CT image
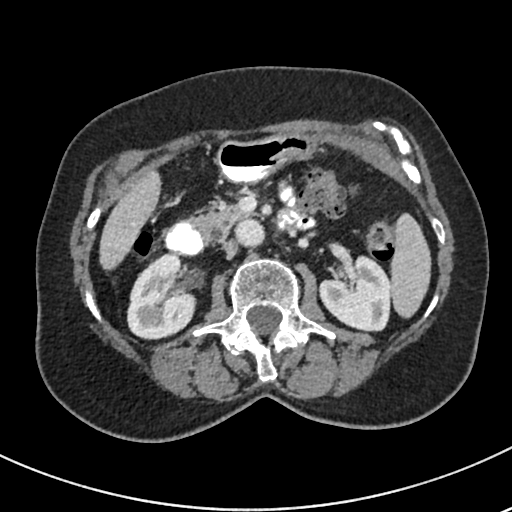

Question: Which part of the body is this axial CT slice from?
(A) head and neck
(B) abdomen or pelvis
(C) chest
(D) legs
Answer: (B) abdomen or pelvis
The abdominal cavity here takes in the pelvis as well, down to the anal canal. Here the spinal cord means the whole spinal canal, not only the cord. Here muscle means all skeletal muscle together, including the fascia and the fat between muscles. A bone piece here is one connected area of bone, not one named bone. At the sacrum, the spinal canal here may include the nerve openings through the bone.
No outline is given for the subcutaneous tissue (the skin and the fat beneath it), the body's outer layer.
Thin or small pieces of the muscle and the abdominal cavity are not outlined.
The bones appear in 6 outlined pieces: piece 1: [[261,258],[278,260],[296,274],[300,311],[335,333],[332,340],[311,332],[304,345],[272,351],[277,376],[266,382],[259,379],[256,359],[249,351],[232,354],[220,342],[218,333],[192,334],[229,316],[232,305],[228,287],[233,274],[242,263]]; inner edge: [[255,306],[271,306],[272,307],[274,307],[276,308],[280,312],[281,314],[281,319],[278,323],[275,329],[274,329],[268,335],[266,336],[261,336],[259,335],[255,331],[254,331],[251,325],[246,318],[246,316],[247,315],[247,312],[249,310],[249,309]]; piece 2: [[376,120],[383,122],[387,125],[396,126],[409,142],[411,146],[411,152],[408,155],[408,158],[419,171],[421,177],[421,182],[419,184],[415,184],[402,169],[400,165],[400,161],[403,156],[399,152],[393,138],[386,131],[381,131],[373,126],[372,121]]; piece 3: [[89,281],[90,281],[92,284],[92,293],[93,294],[93,297],[95,300],[96,305],[101,315],[101,318],[102,319],[101,322],[99,322],[91,314],[90,311],[85,305],[85,303],[84,302],[84,299],[85,298],[85,289],[86,288],[86,285]]; piece 4: [[432,216],[434,216],[436,217],[441,222],[443,226],[443,228],[445,231],[445,242],[444,244],[442,244],[437,239],[437,237],[434,231],[432,229],[432,227],[429,221],[429,217],[431,217]]; piece 5: [[98,205],[101,206],[101,208],[102,209],[101,210],[101,212],[100,213],[100,215],[99,216],[99,218],[98,219],[98,220],[97,221],[95,226],[91,230],[87,230],[85,227],[85,225],[86,224],[86,220],[87,219],[88,216],[90,214],[90,213]]; piece 6: [[436,289],[437,289],[438,290],[438,294],[439,295],[438,296],[438,300],[437,301],[437,303],[436,304],[435,307],[433,309],[433,310],[429,314],[429,315],[424,320],[421,321],[422,316],[423,315],[424,312],[426,310],[426,309],[434,294],[434,292]]. The spinal cord is outlined by [[255,306],[271,306],[272,307],[274,307],[276,308],[280,312],[281,314],[281,319],[278,323],[275,329],[274,329],[268,335],[266,336],[261,336],[259,335],[255,331],[254,331],[251,325],[246,318],[246,316],[247,315],[247,312],[249,310],[249,309]]. The abdominal cavity is outlined by [[264,132],[346,150],[415,198],[437,248],[435,289],[422,315],[386,339],[337,326],[326,320],[316,275],[306,263],[294,265],[297,275],[282,261],[261,257],[214,275],[203,320],[170,340],[144,344],[115,328],[97,305],[89,268],[108,208],[182,152]]. The torso is outlined by [[256,65],[375,74],[405,88],[431,114],[475,192],[487,231],[489,278],[471,371],[441,407],[399,427],[357,429],[321,423],[264,397],[208,429],[176,440],[138,442],[98,431],[52,396],[34,352],[36,240],[60,160],[86,123],[122,101],[196,74]]. The muscle is outlined by [[382,116],[389,116],[403,124],[413,134],[421,146],[430,169],[432,179],[436,186],[437,195],[447,214],[454,236],[455,240],[454,245],[456,249],[453,253],[454,266],[451,273],[450,287],[447,296],[443,302],[443,305],[438,313],[437,319],[417,341],[411,343],[396,353],[387,362],[384,363],[363,385],[340,397],[333,397],[323,401],[318,401],[315,399],[303,400],[288,397],[269,385],[260,386],[251,393],[230,401],[219,403],[214,401],[212,402],[208,401],[194,402],[191,400],[179,398],[172,395],[167,391],[162,390],[143,371],[139,369],[139,366],[136,363],[126,358],[109,345],[105,344],[92,331],[88,325],[89,321],[88,313],[81,301],[78,288],[74,285],[73,282],[72,265],[69,255],[69,236],[73,221],[80,207],[82,191],[84,187],[84,179],[96,164],[100,163],[108,157],[113,156],[121,151],[128,149],[153,148],[170,139],[191,131],[196,131],[201,129],[209,128],[248,129],[255,128],[258,126],[272,124],[275,122],[298,118],[317,118],[333,121],[357,123],[365,118],[378,118]] with holes at [[264,132],[331,144],[358,156],[397,181],[428,221],[434,216],[441,222],[439,295],[429,315],[386,339],[337,326],[326,320],[318,302],[316,275],[298,262],[299,309],[335,338],[311,332],[304,345],[272,351],[277,376],[266,382],[259,379],[249,351],[232,354],[218,333],[192,334],[231,313],[232,268],[213,276],[203,320],[170,340],[144,344],[102,315],[99,322],[84,299],[91,251],[108,208],[143,175],[182,152]] and at [[376,120],[383,122],[387,125],[396,126],[409,142],[411,146],[411,152],[408,155],[408,158],[419,171],[421,177],[421,182],[419,184],[415,184],[402,169],[400,165],[400,161],[403,156],[399,152],[393,138],[386,131],[381,131],[373,126],[372,121]] and at [[98,205],[101,206],[101,208],[102,209],[101,210],[101,212],[100,213],[100,215],[99,216],[99,218],[98,219],[98,220],[97,221],[95,226],[91,230],[87,230],[85,227],[85,225],[86,224],[86,220],[87,219],[88,216],[90,214],[90,213]].